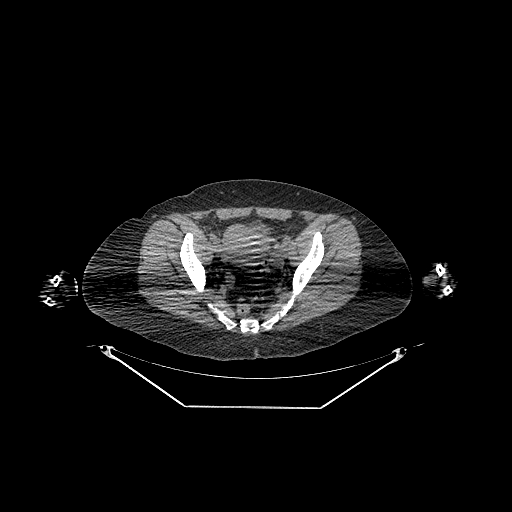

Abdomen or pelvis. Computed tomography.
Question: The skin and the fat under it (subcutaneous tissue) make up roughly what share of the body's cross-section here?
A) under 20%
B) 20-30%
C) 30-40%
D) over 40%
Answer: D) over 40%
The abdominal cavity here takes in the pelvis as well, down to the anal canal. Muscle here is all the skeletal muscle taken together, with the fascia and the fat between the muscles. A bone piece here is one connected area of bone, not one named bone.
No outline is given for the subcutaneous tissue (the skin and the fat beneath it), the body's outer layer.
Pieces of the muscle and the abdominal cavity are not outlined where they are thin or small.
The left arm is outlined by 436 260; 438 261; 445 261; 448 263; 456 277; 460 280; 459 287; 457 290; 454 292; 454 295; 452 297; 446 298; 442 300; 439 300; 435 297; 428 296; 426 295; 422 290; 422 284; 421 283; 421 276; 422 273; 424 269; 431 262. The muscle appears in 3 outlined pieces: piece 1: 251 205; 330 212; 350 219; 362 244; 360 290; 350 301; 336 310; 289 329; 268 331; 286 315; 321 264; 325 245; 322 232; 315 230; 305 255; 292 267; 288 248; 307 224; 303 218; 294 213; 282 220; 263 217; 254 212; 222 220; 212 212; 199 222; 212 244; 213 259; 210 264; 204 265; 197 257; 194 234; 191 231; 184 233; 178 256; 197 293; 203 293; 207 284; 216 296; 242 316; 264 311; 290 287; 286 301; 262 320; 250 316; 236 320; 215 302; 206 303; 227 331; 238 327; 243 334; 248 332; 257 334; 259 330; 261 328; 264 332; 260 334; 247 336; 230 331; 220 332; 155 309; 145 301; 139 293; 137 256; 144 233; 154 221; 171 212; piece 2: 441 263; 444 264; 450 270; 456 281; 456 287; 453 290; 450 285; 447 284; 441 288; 441 293; 444 295; 440 297; 437 297; 433 295; 425 287; 424 277; 426 273; 435 265; 436 265; 435 271; 437 274; 439 276; 443 276; 446 269; piece 3: 58 273; 65 274; 68 277; 70 282; 70 295; 69 298; 66 303; 60 306; 54 305; 54 300; 49 295; 47 295; 44 298; 43 301; 41 297; 41 291; 44 285; 49 279; 49 281; 54 286; 58 285; 58 283; 61 280; 61 277. The abdominal cavity is outlined by 212 213; 220 221; 247 217; 252 213; 263 218; 285 221; 297 214; 306 224; 287 248; 289 264; 294 268; 290 286; 275 302; 270 302; 264 310; 242 315; 216 295; 207 283; 207 272; 204 266; 212 263; 214 250; 200 222. The torso is outlined by 242 178; 269 179; 304 186; 335 197; 369 217; 393 242; 409 268; 412 292; 406 308; 394 318; 333 345; 301 355; 224 361; 181 353; 94 314; 83 299; 83 272; 92 254; 113 229; 129 218; 140 217; 151 206; 188 193; 201 185. The bones appear in 6 outlined pieces: piece 1: 315 231; 320 231; 322 234; 324 253; 321 262; 295 297; 285 315; 267 331; 261 327; 257 333; 248 331; 243 333; 238 326; 227 330; 207 303; 215 303; 236 321; 242 317; 257 318; 260 321; 267 319; 290 297; 294 270; 310 248; piece 2: 186 232; 191 232; 193 234; 193 248; 195 252; 195 255; 198 260; 203 265; 206 272; 206 285; 204 287; 203 292; 197 292; 196 291; 195 287; 192 284; 186 271; 184 269; 181 263; 181 260; 179 256; 180 246; 181 245; 183 237; piece 3: 438 264; 441 264; 443 266; 443 267; 445 269; 445 271; 444 272; 444 273; 443 274; 443 275; 439 275; 438 274; 438 273; 436 271; 436 266; piece 4: 54 274; 57 274; 60 277; 60 280; 57 283; 57 285; 54 285; 54 284; 53 283; 52 283; 52 282; 51 281; 50 281; 50 279; 52 277; 52 276; 53 276; 54 275; piece 5: 47 296; 49 296; 51 298; 51 299; 52 300; 53 300; 53 306; 48 306; 47 305; 46 305; 45 304; 45 303; 44 302; 44 300; 45 299; 45 298; 46 298; 47 297; piece 6: 447 285; 449 285; 449 286; 451 288; 451 291; 449 293; 448 293; 447 294; 444 294; 444 293; 443 292; 443 288; 444 287; 445 287. The right arm is outlined by 59 269; 64 269; 66 270; 75 278; 76 280; 76 284; 78 287; 78 294; 75 299; 74 303; 68 307; 66 307; 64 309; 62 309; 61 310; 49 309; 42 305; 40 302; 39 300; 39 290; 46 274; 50 271; 56 271.